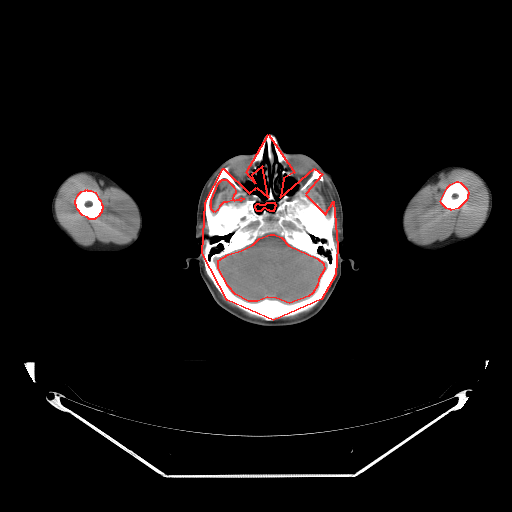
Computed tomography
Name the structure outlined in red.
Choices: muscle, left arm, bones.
red: bones.
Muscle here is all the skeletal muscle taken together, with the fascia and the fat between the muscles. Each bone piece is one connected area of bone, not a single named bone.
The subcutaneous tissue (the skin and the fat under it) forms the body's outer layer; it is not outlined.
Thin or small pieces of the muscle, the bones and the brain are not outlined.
Outlined structures:
bones 1: [[268,134],[294,172],[283,178],[280,197],[314,168],[322,174],[305,194],[325,214],[333,201],[337,246],[335,275],[321,299],[273,320],[227,300],[202,253],[205,202],[223,168],[249,193],[256,187],[268,197],[262,166],[251,175],[255,183],[246,172]], around holes outlined by [[270,234],[274,234],[281,237],[288,245],[317,258],[323,263],[324,269],[318,279],[317,285],[312,293],[308,296],[289,303],[276,298],[267,297],[257,301],[248,301],[235,294],[228,286],[218,268],[218,260],[228,254],[241,250],[253,244],[259,238]] and by [[222,179],[226,179],[233,186],[235,190],[235,193],[233,195],[232,198],[234,200],[241,197],[243,198],[243,199],[240,201],[232,200],[227,202],[223,202],[219,206],[217,210],[214,212],[211,209],[211,206],[210,205],[211,204],[211,200],[218,183]] and by [[267,202],[274,202],[274,203],[275,204],[275,206],[274,207],[274,209],[273,210],[273,211],[270,211],[269,210],[268,210],[265,208],[263,208],[260,211],[257,211],[256,210],[256,209],[255,208],[255,205],[257,203],[258,203],[259,204],[265,204]]
bones 2: [[86,189],[87,190],[91,190],[95,192],[98,198],[100,200],[101,204],[102,205],[102,209],[101,210],[101,212],[99,214],[99,215],[94,219],[89,219],[87,217],[82,215],[77,209],[76,205],[75,204],[75,200],[78,194],[81,191],[85,190]]
bones 3: [[456,181],[458,181],[460,182],[466,188],[468,192],[468,194],[467,195],[467,198],[466,200],[458,208],[451,210],[450,209],[448,209],[446,208],[441,203],[440,201],[447,187],[450,184]]
head: [[268,133],[283,152],[305,154],[333,175],[343,211],[345,244],[339,253],[358,268],[353,270],[345,260],[321,310],[311,321],[285,328],[256,327],[234,319],[213,299],[197,260],[182,268],[187,257],[200,252],[194,235],[206,180],[227,159],[255,153]] with holes at [[260,166],[262,168],[263,178],[259,183],[262,184],[266,182],[267,184],[267,187],[261,192],[263,195],[267,193],[265,199],[257,193],[258,189],[256,186],[253,192],[249,192],[244,187],[248,181],[253,184],[256,183],[252,175],[255,177],[258,175]] and at [[286,176],[290,177],[291,178],[293,178],[293,179],[297,184],[297,188],[295,190],[295,191],[294,191],[293,193],[291,194],[287,194],[286,193],[283,193],[282,195],[280,196],[281,193],[283,191],[283,187],[282,186],[282,184],[284,181],[284,178]] and at [[267,202],[274,202],[274,203],[275,204],[275,206],[274,207],[274,209],[273,210],[273,211],[270,211],[269,210],[268,210],[265,208],[263,208],[260,211],[257,211],[256,210],[256,209],[255,208],[255,205],[257,203],[258,203],[259,204],[265,204]]
left arm: [[449,165],[461,165],[471,168],[478,172],[486,180],[491,189],[493,197],[493,203],[490,216],[482,229],[473,237],[465,241],[454,243],[436,250],[419,249],[409,243],[403,233],[402,222],[401,221],[402,220],[403,210],[412,195],[429,176],[437,170]]
muscle 1: [[453,169],[467,170],[476,175],[484,184],[488,192],[488,208],[485,218],[479,227],[467,236],[457,237],[451,235],[444,240],[437,240],[427,245],[418,244],[410,239],[406,231],[406,212],[414,198],[425,186],[435,183],[439,179],[440,173],[446,173]] with a hole at [[456,181],[458,181],[460,182],[466,188],[468,192],[468,194],[467,195],[467,198],[466,200],[458,208],[451,210],[450,209],[448,209],[446,208],[441,203],[440,201],[447,187],[450,184]]
muscle 2: [[82,173],[89,174],[98,181],[102,180],[106,186],[113,186],[118,188],[134,204],[139,216],[139,226],[135,237],[131,241],[122,245],[113,243],[96,242],[90,246],[84,246],[78,243],[60,224],[55,212],[55,202],[58,193],[61,187],[69,178]] with a hole at [[86,189],[87,190],[91,190],[95,192],[98,198],[100,200],[101,204],[102,205],[102,209],[101,210],[101,212],[99,214],[99,215],[94,219],[89,219],[87,217],[82,215],[77,209],[76,205],[75,204],[75,200],[78,194],[81,191],[85,190]]
muscle 3: [[323,174],[327,177],[330,183],[337,207],[338,231],[335,234],[335,237],[333,234],[336,216],[336,206],[334,201],[332,199],[331,200],[329,212],[325,213],[321,206],[316,201],[310,199],[306,194],[307,188],[313,181],[324,181]]
muscle 4: [[222,179],[226,179],[233,186],[235,190],[235,193],[233,195],[232,198],[234,200],[241,197],[243,198],[243,199],[240,201],[232,200],[227,202],[223,202],[219,206],[217,210],[214,212],[211,209],[211,206],[210,205],[211,204],[211,200],[218,183]]
muscle 5: [[217,290],[220,293],[220,294],[227,301],[233,304],[236,307],[242,310],[244,312],[247,313],[249,315],[251,316],[253,316],[254,317],[256,317],[253,317],[249,316],[243,313],[241,311],[236,309],[234,307],[232,307],[230,305],[226,303],[219,296]]
brain: [[270,234],[274,234],[281,237],[288,245],[317,258],[323,263],[324,269],[318,279],[317,285],[312,293],[308,296],[289,303],[276,298],[267,297],[257,301],[248,301],[235,294],[228,286],[218,268],[218,260],[228,254],[241,250],[253,244],[259,238]]
right arm: [[83,169],[96,170],[107,175],[117,182],[137,202],[140,208],[142,216],[142,228],[137,240],[131,246],[126,249],[115,252],[86,251],[83,250],[76,246],[54,222],[51,214],[51,202],[53,195],[57,187],[62,180],[70,173],[77,170],[82,170]]